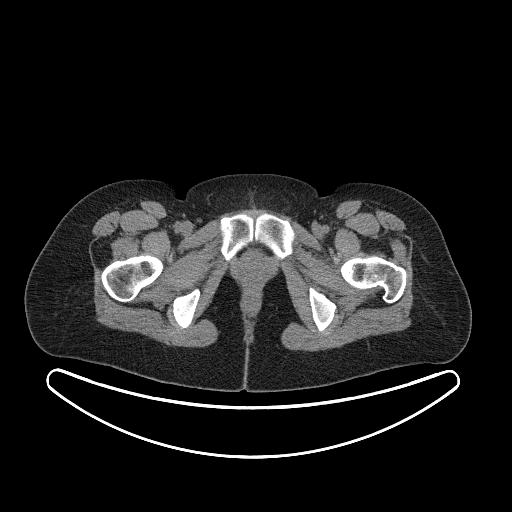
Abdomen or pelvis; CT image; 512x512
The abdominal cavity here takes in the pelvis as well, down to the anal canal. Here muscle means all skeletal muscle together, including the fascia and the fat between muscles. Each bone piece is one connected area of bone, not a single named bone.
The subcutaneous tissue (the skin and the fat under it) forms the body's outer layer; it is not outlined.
Outlined structures:
abdominal cavity: (253, 242) (261, 244) (271, 251) (274, 256) (273, 258) (274, 267) (270, 275) (264, 280) (262, 284) (262, 287) (259, 291) (260, 295) (258, 305) (252, 315) (249, 313) (245, 313) (243, 309) (244, 306) (244, 293) (242, 290) (243, 286) (235, 274) (233, 258) (238, 252)
bones 1: (264, 212) (273, 214) (289, 222) (295, 234) (292, 243) (292, 253) (282, 259) (278, 259) (268, 247) (261, 243) (253, 241) (238, 251) (229, 261) (226, 261) (220, 251) (222, 242) (220, 231) (221, 218) (223, 216) (232, 216) (238, 213) (245, 213) (253, 218) (256, 218)
bones 2: (372, 255) (382, 257) (386, 260) (401, 266) (406, 271) (406, 283) (403, 293) (396, 301) (392, 303) (387, 303) (382, 299) (383, 292) (379, 287) (372, 287) (365, 289) (360, 289) (354, 287) (348, 283) (343, 278) (341, 274) (340, 267) (348, 259) (352, 257) (363, 258)
bones 3: (142, 254) (144, 255) (145, 254) (148, 254) (157, 257) (163, 264) (163, 268) (161, 273) (151, 283) (143, 287) (138, 292) (137, 295) (130, 301) (127, 302) (121, 302) (111, 297) (104, 288) (101, 280) (101, 273) (104, 268) (115, 260) (124, 260) (129, 257) (137, 256)
bones 4: (310, 286) (314, 288) (317, 291) (321, 293) (323, 293) (336, 305) (336, 310) (334, 313) (334, 315) (331, 322) (327, 327) (322, 331) (319, 331) (317, 329) (317, 327) (314, 323) (312, 318) (312, 313) (311, 312) (311, 307) (310, 306) (310, 301) (309, 300) (309, 287)
bones 5: (195, 288) (198, 288) (199, 289) (200, 291) (200, 295) (196, 305) (196, 308) (194, 312) (194, 315) (190, 324) (187, 327) (185, 328) (182, 328) (175, 320) (175, 318) (173, 314) (173, 305) (172, 304) (173, 303) (173, 300) (177, 296) (180, 296) (181, 295) (186, 294)
muscle: (130, 199) (157, 201) (178, 220) (197, 228) (219, 215) (241, 209) (269, 209) (291, 217) (304, 228) (343, 201) (381, 202) (403, 220) (413, 240) (411, 324) (401, 331) (369, 336) (340, 347) (319, 351) (290, 350) (282, 345) (280, 335) (299, 317) (280, 271) (263, 288) (252, 341) (244, 339) (240, 292) (228, 273) (203, 312) (203, 316) (220, 331) (211, 345) (168, 346) (139, 333) (107, 327) (95, 319) (93, 267) (89, 252) (91, 229) (105, 211); inner edges: (264, 212) (287, 220) (295, 237) (292, 243) (292, 253) (282, 259) (273, 258) (273, 270) (262, 284) (258, 305) (252, 315) (245, 313) (243, 309) (243, 286) (235, 274) (234, 259) (226, 261) (220, 251) (222, 242) (220, 220) (223, 216) (238, 213) (245, 213) (256, 218), then (372, 255) (382, 257) (386, 260) (401, 266) (406, 271) (406, 283) (403, 293) (396, 301) (392, 303) (387, 303) (382, 299) (383, 292) (379, 287) (372, 287) (365, 289) (360, 289) (354, 287) (348, 283) (343, 278) (341, 274) (340, 267) (348, 259) (352, 257) (363, 258), then (142, 254) (144, 255) (145, 254) (148, 254) (157, 257) (163, 264) (163, 268) (161, 273) (151, 283) (143, 287) (138, 292) (137, 295) (130, 301) (127, 302) (121, 302) (111, 297) (104, 288) (101, 280) (101, 273) (104, 268) (115, 260) (124, 260) (129, 257) (137, 256), then (310, 286) (314, 288) (317, 291) (321, 293) (323, 293) (336, 305) (336, 310) (334, 313) (334, 315) (331, 322) (327, 327) (322, 331) (319, 331) (317, 329) (317, 327) (314, 323) (312, 318) (312, 313) (311, 312) (311, 307) (310, 306) (310, 301) (309, 300) (309, 287), then (195, 288) (198, 288) (199, 289) (200, 291) (200, 295) (196, 305) (196, 308) (194, 312) (194, 315) (190, 324) (187, 327) (185, 328) (182, 328) (175, 320) (175, 318) (173, 314) (173, 305) (172, 304) (173, 303) (173, 300) (177, 296) (180, 296) (181, 295) (186, 294)
torso: (234, 173) (294, 177) (320, 195) (359, 181) (392, 186) (416, 198) (437, 221) (468, 293) (472, 323) (462, 351) (446, 363) (413, 364) (274, 392) (180, 386) (44, 352) (27, 325) (25, 285) (50, 234) (77, 201) (105, 184) (137, 178) (168, 182) (183, 198) (200, 181)